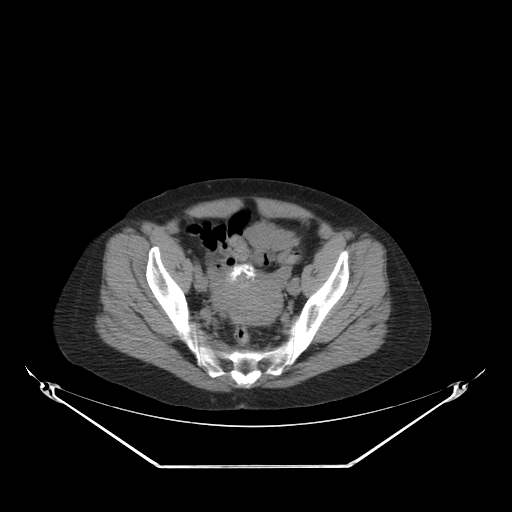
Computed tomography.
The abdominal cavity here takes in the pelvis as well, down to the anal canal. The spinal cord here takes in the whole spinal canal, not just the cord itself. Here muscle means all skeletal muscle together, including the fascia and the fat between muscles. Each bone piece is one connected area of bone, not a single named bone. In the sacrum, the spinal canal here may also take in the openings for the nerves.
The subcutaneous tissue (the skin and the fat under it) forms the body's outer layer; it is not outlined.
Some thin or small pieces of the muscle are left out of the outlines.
bones: [[152,246],[159,248],[163,266],[185,295],[198,342],[218,351],[271,350],[286,341],[289,335],[284,331],[327,279],[343,250],[348,252],[349,278],[343,294],[292,364],[279,375],[263,373],[249,388],[238,387],[227,373],[211,377],[180,339],[146,279]], around a hole outlined by [[240,367],[246,367],[247,368],[251,368],[251,369],[249,371],[248,371],[247,372],[246,372],[245,373],[244,372],[243,372],[242,371],[241,371],[239,369],[239,368]]
muscle 1: [[249,195],[298,204],[384,246],[391,310],[385,342],[375,352],[288,387],[251,387],[263,374],[279,376],[308,348],[344,294],[350,268],[343,249],[306,297],[303,269],[326,240],[318,223],[264,215],[250,199],[223,217],[179,218],[170,235],[191,262],[187,293],[164,266],[157,245],[147,252],[144,272],[196,364],[211,378],[227,374],[245,388],[196,387],[100,338],[94,325],[112,235],[143,220],[161,224],[199,202]]
muscle 2: [[198,324],[199,324],[198,325],[200,329],[202,331],[205,332],[210,336],[212,336],[224,342],[229,347],[231,348],[230,350],[218,350],[217,349],[214,349],[210,346],[204,345],[200,343],[199,342],[199,337],[197,334],[197,327],[198,326]]
muscle 3: [[292,320],[293,320],[289,328],[283,331],[286,334],[288,335],[286,340],[285,340],[280,344],[275,346],[271,349],[264,349],[265,347],[268,346],[273,341],[274,341],[276,339],[279,333],[283,329],[284,326],[288,322]]
spinal cord 1: [[240,367],[246,367],[247,368],[251,368],[251,369],[249,371],[248,371],[247,372],[246,372],[245,373],[244,372],[243,372],[242,371],[241,371],[239,369],[239,368]]
spinal cord 2: [[229,364],[230,364],[231,365],[232,366],[232,367],[231,368],[230,369],[229,369],[228,368],[227,367],[227,366],[228,365]]
spinal cord 3: [[261,364],[262,364],[263,365],[264,366],[264,367],[263,368],[262,369],[261,369],[260,368],[259,367],[259,366],[260,365]]
torso: [[223,176],[265,176],[305,184],[355,205],[385,229],[410,262],[429,305],[432,329],[422,359],[388,381],[343,400],[279,410],[241,408],[222,411],[168,405],[102,379],[67,360],[54,342],[51,318],[60,291],[90,238],[119,220],[141,201],[168,188]]
abdominal cavity: [[248,200],[256,204],[262,215],[270,218],[315,221],[319,235],[325,240],[312,261],[302,269],[301,291],[307,298],[297,316],[288,321],[263,349],[231,349],[192,321],[186,294],[191,286],[193,266],[171,233],[182,217],[223,218]]